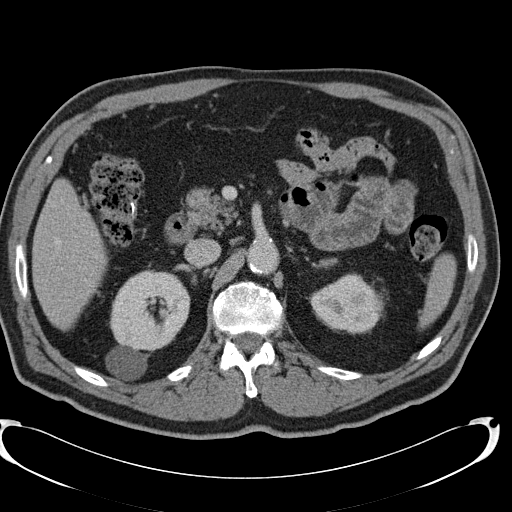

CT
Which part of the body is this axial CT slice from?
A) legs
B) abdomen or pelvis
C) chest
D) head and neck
Answer: B) abdomen or pelvis
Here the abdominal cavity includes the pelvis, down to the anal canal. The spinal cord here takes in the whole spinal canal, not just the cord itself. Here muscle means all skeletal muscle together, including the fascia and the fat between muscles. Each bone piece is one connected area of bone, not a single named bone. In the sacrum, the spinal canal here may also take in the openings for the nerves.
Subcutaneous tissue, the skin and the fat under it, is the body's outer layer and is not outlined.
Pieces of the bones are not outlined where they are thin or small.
{"torso":[[[199,65],[381,69],[429,88],[459,116],[490,190],[499,235],[500,273],[486,319],[459,373],[442,393],[367,425],[326,435],[283,438],[254,431],[230,438],[191,440],[96,418],[17,379],[0,325],[0,211],[21,156],[52,114],[85,87],[117,76]]],"abdominal_cavity":[[[254,81],[365,99],[434,132],[461,211],[466,258],[449,317],[401,365],[363,373],[328,365],[309,352],[292,334],[276,294],[240,280],[209,303],[202,337],[165,376],[130,384],[75,364],[46,337],[28,286],[30,226],[66,152],[95,122],[122,111]]],"bones":[{"outer":[[240,281],[252,281],[272,291],[281,303],[284,314],[281,327],[269,336],[278,366],[260,364],[255,369],[252,378],[257,394],[253,398],[246,395],[245,376],[237,366],[220,370],[219,363],[226,335],[214,325],[212,318],[212,305],[217,295],[230,284]],"hole":[[245,332],[249,332],[250,333],[256,333],[260,335],[263,339],[261,343],[261,345],[259,347],[257,351],[255,351],[252,353],[244,353],[240,350],[239,350],[237,348],[233,339],[236,335],[238,334],[241,334]]},[[18,243],[21,243],[23,245],[24,247],[24,250],[26,254],[26,260],[27,261],[27,286],[28,287],[28,291],[25,299],[24,299],[21,296],[19,292],[18,286],[17,285],[17,282],[16,281],[16,277],[15,276],[15,246],[16,244]],[[319,365],[332,366],[333,367],[337,367],[338,368],[341,368],[342,369],[345,369],[346,370],[351,370],[352,371],[360,372],[362,373],[362,376],[358,378],[355,378],[354,379],[339,379],[336,377],[328,375],[318,370],[317,369],[317,366]],[[469,233],[471,233],[472,234],[473,234],[473,235],[476,240],[476,242],[477,243],[477,251],[478,252],[478,254],[477,255],[477,264],[476,265],[476,267],[473,272],[469,272],[469,271],[467,269],[467,258],[466,257],[466,249],[467,248],[467,235]],[[74,365],[77,365],[78,366],[83,367],[86,369],[88,369],[89,370],[100,375],[108,383],[108,385],[107,386],[98,386],[97,385],[95,385],[94,384],[85,380],[83,378],[82,378],[78,374],[77,374],[76,373],[76,372],[74,370]],[[437,335],[440,335],[441,336],[441,341],[440,342],[439,345],[431,353],[430,353],[428,355],[427,355],[426,356],[425,356],[424,357],[423,357],[420,359],[416,359],[415,358],[415,357],[417,355],[418,352],[428,342],[429,342],[433,338],[434,338]],[[189,364],[190,364],[192,366],[192,368],[190,372],[186,377],[184,377],[182,379],[180,380],[177,380],[176,381],[171,381],[169,380],[166,377],[166,376],[170,372],[171,372],[176,368],[178,367],[180,367],[181,366],[188,365]]],"muscle":[{"outer":[[260,77],[373,86],[395,98],[440,108],[458,123],[475,168],[486,267],[452,356],[439,367],[366,402],[321,416],[286,416],[254,398],[258,394],[253,378],[256,369],[260,365],[279,366],[270,336],[282,327],[285,318],[293,337],[327,364],[319,364],[316,369],[339,380],[393,370],[415,353],[416,360],[428,356],[440,345],[442,336],[438,333],[458,301],[466,269],[469,273],[475,271],[479,254],[471,232],[466,235],[464,248],[463,216],[450,183],[446,155],[427,124],[365,98],[254,80],[229,83],[187,99],[143,103],[95,121],[69,146],[43,190],[29,226],[26,253],[21,242],[14,246],[14,276],[20,296],[25,300],[29,291],[45,337],[74,364],[73,370],[85,381],[107,387],[109,383],[99,374],[130,385],[164,377],[171,382],[186,378],[193,366],[182,364],[206,331],[210,303],[213,325],[225,335],[218,368],[227,371],[237,367],[244,376],[244,393],[250,399],[227,418],[180,421],[98,397],[34,370],[27,362],[16,316],[7,242],[18,186],[42,142],[63,121],[114,94],[198,78]],"hole":[[48,155],[50,155],[52,157],[52,161],[51,162],[51,163],[50,163],[49,164],[44,164],[44,160],[45,159],[45,158]]}],"spinal_cord":[[[245,332],[249,332],[250,333],[256,333],[260,335],[263,339],[261,343],[261,345],[259,347],[257,351],[255,351],[252,353],[244,353],[240,350],[239,350],[237,348],[233,339],[236,335],[238,334],[241,334]]]}